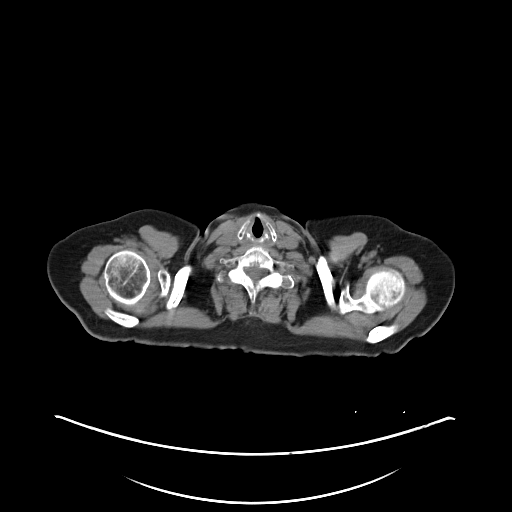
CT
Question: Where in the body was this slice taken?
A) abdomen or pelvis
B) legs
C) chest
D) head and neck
Answer: C) chest
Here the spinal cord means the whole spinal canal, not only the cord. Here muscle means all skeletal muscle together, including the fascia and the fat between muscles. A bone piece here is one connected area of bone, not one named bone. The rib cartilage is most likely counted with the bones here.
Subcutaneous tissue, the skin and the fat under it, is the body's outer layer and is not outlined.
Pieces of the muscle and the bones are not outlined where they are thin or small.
The right arm is outlined by 117,217 125,220 135,228 149,245 154,255 158,271 158,280 156,288 151,297 141,307 137,309 121,314 113,314 108,316 76,316 61,302 49,282 46,272 46,261 49,251 57,241 73,231 84,226 110,220. The bones appear in 8 outlined pieces: piece 1: 320,255 325,257 332,274 334,280 332,289 336,300 347,284 351,297 359,298 365,291 370,275 384,268 393,268 402,275 406,287 402,299 380,312 366,313 351,310 341,314 337,307 331,308 326,302 315,266; piece 2: 126,249 127,250 131,250 140,255 145,260 150,271 150,283 144,295 139,301 131,305 127,305 126,304 121,303 115,300 111,296 110,296 105,286 105,280 103,276 103,270 108,258 112,254 118,251 125,250; piece 3: 252,246 261,246 274,259 290,265 280,272 290,274 294,278 294,285 290,288 283,286 263,288 257,294 253,304 245,288 241,284 231,282 227,276 227,272 235,265 230,263 225,265 220,262 222,258 239,256; inner edge: 255,266 261,269 265,269 267,271 265,275 264,275 262,277 261,277 259,279 255,281 253,280 250,277 250,276 247,273 246,271 246,269 250,267 254,267; piece 4: 186,264 189,264 191,266 191,271 189,274 183,295 179,303 175,307 170,310 168,310 165,307 167,299 165,297 161,297 160,296 161,288 158,280 157,272 159,269 162,268 168,272 170,278 172,279 179,268; piece 5: 394,324 397,325 397,328 398,329 397,331 392,335 378,342 376,342 375,343 369,343 366,341 366,338 368,335 368,333 369,331 373,327 375,326 377,326 378,325 386,325 387,326 388,325 393,325; piece 6: 107,308 110,308 116,311 120,311 121,312 124,312 125,313 133,315 138,318 139,322 137,324 137,325 136,325 134,327 131,327 130,328 128,328 127,327 124,327 114,322 109,318 109,317 105,313 105,310; piece 7: 247,219 248,219 248,221 247,222 247,224 245,226 245,234 242,237 242,238 241,239 239,239 237,237 237,236 236,235 236,233 237,232 237,231 239,229 239,228 241,226 242,226 244,224 244,222; piece 8: 266,221 269,222 272,225 272,228 274,231 274,233 276,235 277,235 277,239 276,240 276,241 273,241 272,240 272,238 271,237 271,234 270,233 270,231 269,230 269,228 268,227 268,226 266,223. The left arm is outlined by 396,223 408,231 424,235 435,241 450,255 454,264 455,287 450,302 438,321 424,335 420,337 413,336 405,333 392,327 385,322 378,315 375,309 370,304 362,283 362,270 366,258 380,237 389,228. The central area in front of the spine is outlined by 255,214 266,220 265,223 273,242 276,242 278,237 287,240 288,243 285,247 278,247 274,245 251,246 241,243 234,243 232,245 226,242 226,238 235,233 236,237 241,240 246,234 246,226 249,219. The muscle is outlined by 253,210 277,216 303,236 316,259 314,266 325,302 341,315 351,311 383,312 398,304 407,288 399,270 384,267 369,275 359,297 352,297 347,283 336,299 335,280 326,259 327,240 355,231 367,235 365,248 376,249 382,259 405,255 417,263 426,283 426,304 400,331 395,323 378,324 368,331 365,341 298,335 254,316 206,329 135,327 140,322 137,316 110,307 104,310 109,319 100,317 79,289 81,262 94,246 134,234 145,224 177,235 181,244 169,271 161,267 156,272 159,296 166,299 164,307 170,311 180,303 191,265 202,256 211,232 230,215; inner edges: 257,213 272,225 279,238 287,240 285,247 263,247 274,259 290,265 280,272 292,275 294,285 290,288 265,287 251,304 245,288 231,282 227,276 235,265 225,265 220,259 239,256 251,246 232,245 226,238, then 126,249 127,250 131,250 140,255 145,260 150,271 150,283 144,295 139,301 131,305 127,305 126,304 121,303 115,300 111,296 110,296 105,286 105,280 103,276 103,270 108,258 112,254 118,251 125,250, then 219,273 220,273 221,273 222,273 223,274 223,275 223,276 223,277 223,278 223,279 223,280 222,281 221,282 220,282 219,281 218,281 217,280 217,279 216,278 216,277 216,276 217,275 218,274. The torso is outlined by 252,201 273,206 302,225 310,218 346,214 395,222 365,258 361,283 385,323 416,337 393,354 297,357 110,342 90,335 76,317 137,310 159,280 150,245 119,216 144,208 165,210 194,221 202,233 226,210. The spinal cord is outlined by 255,266 261,269 265,269 267,271 265,275 264,275 262,277 261,277 259,279 255,281 253,280 250,277 250,276 247,273 246,271 246,269 250,267 254,267.